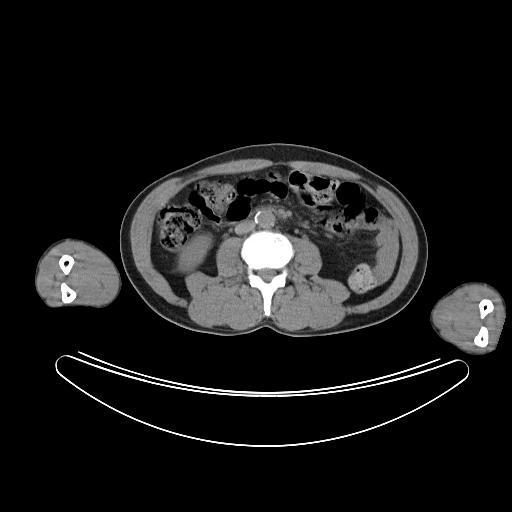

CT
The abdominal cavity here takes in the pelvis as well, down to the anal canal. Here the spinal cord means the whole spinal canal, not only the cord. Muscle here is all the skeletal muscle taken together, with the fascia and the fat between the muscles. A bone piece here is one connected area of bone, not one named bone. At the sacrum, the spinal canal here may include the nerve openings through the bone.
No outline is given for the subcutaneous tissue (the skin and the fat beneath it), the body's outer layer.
{"spinal_cord":[[[264,268],[268,268],[269,269],[273,269],[276,271],[276,274],[275,275],[274,275],[271,278],[270,281],[269,281],[268,282],[266,282],[265,281],[264,281],[261,278],[261,277],[258,274],[258,273],[257,272],[259,270],[260,270],[261,269],[263,269]]],"right_arm":[[[64,237],[77,237],[92,243],[105,252],[115,263],[120,273],[122,285],[120,292],[117,297],[107,306],[102,308],[84,307],[83,306],[77,306],[76,307],[57,307],[54,308],[46,305],[38,295],[34,285],[34,274],[38,259],[43,251],[51,243]]],"torso":[[[274,142],[313,146],[348,157],[391,182],[409,200],[424,226],[428,257],[422,283],[403,309],[380,323],[323,336],[294,337],[268,327],[239,335],[217,335],[179,326],[158,315],[140,297],[126,275],[119,249],[121,221],[134,197],[164,174],[206,156]]],"abdominal_cavity":[[[273,165],[358,183],[389,211],[399,228],[401,256],[383,292],[348,303],[348,288],[319,274],[323,262],[315,243],[271,229],[254,230],[244,239],[226,237],[215,253],[216,275],[193,271],[184,278],[187,293],[174,291],[152,262],[156,212],[198,178]]],"bones":[{"outer":[[259,230],[278,231],[285,234],[290,240],[294,250],[292,258],[286,265],[288,271],[286,283],[284,286],[279,287],[272,295],[269,316],[264,315],[263,297],[261,292],[257,288],[252,287],[249,283],[247,277],[247,265],[240,254],[243,241],[252,232]],"hole":[[264,268],[268,268],[269,269],[273,269],[276,271],[276,274],[275,275],[274,275],[271,278],[270,281],[269,281],[268,282],[266,282],[265,281],[264,281],[261,278],[261,277],[258,274],[258,273],[257,272],[259,270],[260,270],[261,269],[263,269]]},[[62,282],[65,282],[72,289],[73,289],[75,291],[75,292],[76,293],[76,296],[75,297],[75,298],[70,303],[64,303],[62,301],[62,300],[61,299],[61,291],[60,290],[60,285],[61,284],[61,283]],[[482,325],[485,326],[487,328],[487,330],[488,331],[488,340],[487,341],[487,344],[484,347],[481,347],[480,346],[478,346],[477,345],[476,345],[474,343],[474,342],[473,341],[473,339],[474,338],[475,335],[478,332],[478,331],[479,330],[480,327]],[[63,254],[68,254],[69,255],[72,256],[72,257],[74,260],[74,263],[73,264],[73,265],[72,266],[72,267],[71,268],[71,269],[68,274],[64,274],[63,273],[62,270],[60,268],[60,266],[59,265],[59,259],[60,258],[60,257]],[[484,298],[486,298],[487,299],[489,299],[492,302],[492,303],[493,304],[493,310],[492,311],[489,312],[484,317],[484,318],[483,318],[482,319],[480,317],[480,312],[479,311],[479,307],[478,306],[478,305],[479,304],[479,302],[482,299],[483,299]]],"muscle":[{"outer":[[247,158],[264,158],[273,161],[305,160],[323,162],[355,172],[394,193],[409,212],[418,237],[417,262],[408,283],[401,293],[391,302],[380,308],[366,313],[347,315],[342,321],[332,327],[314,331],[290,331],[277,326],[270,318],[264,318],[259,323],[245,329],[218,330],[197,324],[189,317],[185,308],[167,302],[156,293],[138,271],[131,251],[130,226],[133,216],[143,199],[154,188],[171,178],[185,176],[207,166]],"hole":[[273,165],[358,183],[389,211],[401,256],[383,292],[348,303],[348,288],[319,274],[316,244],[292,235],[286,283],[273,293],[269,316],[249,283],[241,237],[219,244],[216,275],[193,271],[184,278],[187,293],[174,291],[152,262],[156,212],[198,178]]},{"outer":[[70,240],[81,242],[95,249],[102,254],[113,267],[118,279],[118,287],[115,294],[107,302],[100,305],[71,303],[76,298],[77,293],[65,281],[62,281],[59,285],[62,304],[52,304],[41,294],[38,287],[37,278],[43,258],[53,247],[64,241]],"hole":[[63,254],[68,254],[69,255],[72,256],[72,257],[74,260],[74,263],[73,264],[73,265],[72,266],[72,267],[71,268],[71,269],[68,274],[64,274],[63,273],[62,270],[60,268],[60,266],[59,265],[59,259],[60,258],[60,257]]},{"outer":[[470,284],[481,284],[494,290],[498,294],[503,307],[502,317],[498,326],[496,337],[493,344],[489,348],[480,351],[472,351],[464,349],[455,343],[446,339],[441,335],[440,330],[433,322],[433,313],[437,305],[444,298],[449,296],[457,289],[465,285]],"holes":[[[482,325],[485,326],[487,328],[487,330],[488,331],[488,340],[487,341],[487,344],[484,347],[481,347],[480,346],[478,346],[477,345],[476,345],[474,343],[474,342],[473,341],[473,339],[474,338],[475,335],[478,332],[478,331],[479,330],[480,327]],[[484,298],[486,298],[487,299],[489,299],[492,302],[492,303],[493,304],[493,310],[492,311],[489,312],[484,317],[484,318],[483,318],[482,319],[480,317],[480,312],[479,311],[479,307],[478,306],[478,305],[479,304],[479,302],[482,299],[483,299]]]}],"left_arm":[[[470,280],[481,280],[492,284],[499,290],[506,301],[505,319],[503,322],[502,329],[496,347],[493,351],[482,355],[470,355],[464,353],[451,344],[443,341],[436,335],[431,328],[429,323],[429,314],[434,303],[442,295],[454,286],[462,282]]]}